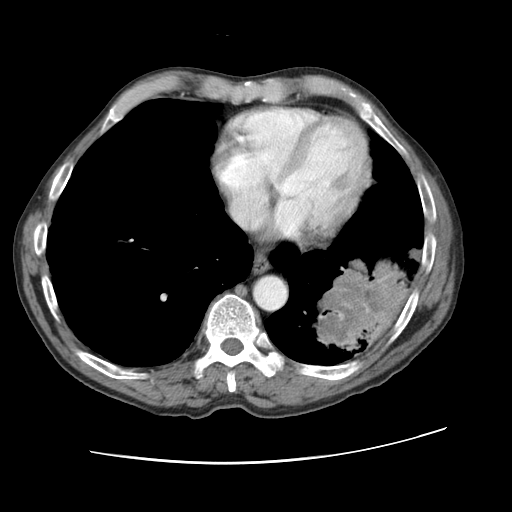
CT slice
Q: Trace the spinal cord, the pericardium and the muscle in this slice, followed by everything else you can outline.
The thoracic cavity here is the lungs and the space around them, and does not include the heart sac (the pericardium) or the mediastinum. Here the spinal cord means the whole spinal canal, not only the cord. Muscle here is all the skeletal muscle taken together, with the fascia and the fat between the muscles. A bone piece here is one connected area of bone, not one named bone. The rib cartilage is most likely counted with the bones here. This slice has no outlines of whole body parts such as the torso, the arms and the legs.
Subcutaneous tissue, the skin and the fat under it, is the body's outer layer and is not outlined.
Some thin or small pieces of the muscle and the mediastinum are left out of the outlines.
A: The spinal cord is outlined by (229, 338) (235, 338) (236, 339) (237, 339) (239, 341) (240, 341) (240, 342) (242, 344) (242, 349) (236, 354) (234, 354) (233, 355) (232, 355) (231, 354) (229, 354) (228, 353) (227, 353) (224, 350) (223, 350) (221, 347) (221, 344) (226, 339) (228, 339). The pericardium is outlined by (276, 102) (315, 103) (345, 110) (361, 122) (369, 136) (373, 183) (364, 192) (355, 211) (333, 237) (320, 239) (309, 245) (297, 244) (296, 246) (287, 242) (280, 244) (277, 241) (260, 243) (250, 238) (226, 212) (224, 201) (210, 169) (210, 158) (226, 117) (242, 108). The muscle appears in 4 outlined pieces: piece 1: (305, 74) (322, 74) (338, 79) (365, 95) (405, 139) (432, 175) (451, 216) (455, 281) (449, 308) (440, 323) (393, 366) (331, 396) (302, 405) (264, 408) (234, 392) (237, 387) (234, 367) (248, 362) (270, 378) (281, 371) (288, 361) (297, 373) (306, 376) (326, 380) (340, 380) (350, 376) (363, 364) (358, 358) (377, 346) (391, 330) (385, 344) (390, 345) (407, 326) (420, 295) (416, 287) (413, 289) (416, 276) (420, 268) (427, 275) (431, 271) (436, 253) (435, 235) (431, 231) (424, 234) (424, 220) (434, 223) (437, 219) (434, 196) (423, 173) (419, 172) (414, 179) (404, 159) (409, 157) (406, 148) (371, 104) (342, 83) (319, 76) (306, 77) (299, 85) (303, 92) (289, 96) (287, 84) (273, 77) (299, 77); piece 2: (61, 164) (47, 195) (49, 201) (55, 202) (50, 224) (39, 221) (33, 229) (32, 241) (38, 257) (45, 253) (50, 276) (43, 273) (40, 285) (49, 312) (59, 323) (59, 310) (87, 349) (75, 347) (73, 352) (110, 378) (145, 380) (149, 374) (133, 368) (167, 364) (204, 338) (207, 346) (193, 361) (192, 375) (198, 380) (207, 367) (219, 362) (228, 368) (228, 393) (199, 407) (148, 404) (86, 376) (51, 343) (23, 289) (20, 238) (34, 203); piece 3: (170, 70) (182, 70) (193, 73) (211, 75) (202, 78) (195, 91) (198, 96) (203, 98) (185, 98) (159, 95) (163, 93) (169, 94) (174, 92) (179, 88) (180, 85) (181, 80) (177, 75) (165, 75) (141, 83) (129, 89) (112, 105) (125, 90) (137, 81) (148, 76); piece 4: (107, 112) (107, 114) (104, 118) (103, 120) (103, 122) (98, 131) (98, 137) (85, 150) (85, 151) (77, 160) (77, 161) (75, 163) (71, 159) (70, 159) (62, 163) (65, 157) (74, 148) (74, 147) (81, 140) (81, 139) (99, 122) (99, 121) (105, 115) (105, 114). The bones appear in 11 outlined pieces: piece 1: (227, 293) (249, 302) (257, 325) (286, 357) (322, 366) (359, 360) (361, 366) (343, 378) (326, 379) (299, 373) (287, 360) (268, 377) (243, 361) (233, 367) (233, 392) (229, 368) (219, 361) (195, 378) (194, 361) (208, 346) (204, 337) (197, 343) (197, 336) (209, 306); inner edge: (229, 338) (235, 338) (236, 339) (237, 339) (239, 341) (240, 341) (240, 342) (242, 344) (242, 349) (236, 354) (234, 354) (233, 355) (232, 355) (231, 354) (229, 354) (228, 353) (227, 353) (224, 350) (223, 350) (221, 347) (221, 344) (226, 339) (228, 339); piece 2: (208, 76) (219, 77) (227, 82) (239, 85) (248, 80) (260, 82) (263, 79) (272, 77) (286, 84) (289, 91) (289, 95) (286, 99) (275, 102) (262, 101) (258, 98) (249, 102) (241, 102) (238, 104) (234, 104) (228, 100) (204, 98) (198, 95) (196, 91) (202, 79); piece 3: (311, 77) (319, 77) (342, 84) (353, 90) (365, 101) (368, 102) (373, 111) (383, 124) (405, 148) (408, 153) (408, 157) (403, 157) (391, 144) (377, 133) (362, 119) (351, 105) (343, 99) (332, 95) (306, 94) (304, 93) (300, 85) (303, 80) (306, 78) (310, 78); piece 4: (165, 76) (177, 76) (179, 78) (180, 81) (178, 88) (176, 90) (169, 93) (163, 92) (160, 93) (156, 97) (149, 98) (142, 101) (132, 108) (122, 119) (99, 136) (99, 131) (105, 118) (108, 114) (109, 109) (124, 94) (129, 90) (135, 88) (141, 84) (150, 82); piece 5: (75, 348) (78, 348) (84, 351) (87, 351) (97, 357) (99, 357) (106, 361) (108, 361) (123, 368) (132, 368) (135, 371) (138, 372) (146, 372) (148, 374) (148, 377) (145, 379) (126, 379) (125, 378) (119, 379) (118, 378) (110, 377) (84, 362) (74, 352) (73, 350); piece 6: (415, 288) (416, 288) (419, 291) (419, 295) (417, 300) (417, 304) (415, 307) (415, 310) (409, 321) (407, 323) (406, 326) (403, 329) (400, 334) (390, 344) (387, 345) (386, 344) (387, 343) (387, 341) (393, 332) (392, 331) (392, 328) (398, 319) (410, 294); piece 7: (419, 173) (423, 174) (425, 177) (429, 185) (430, 190) (433, 196) (434, 204) (435, 205) (435, 211) (436, 212) (436, 219) (434, 222) (431, 222) (424, 217) (423, 208) (421, 203) (421, 199) (420, 198) (419, 192) (418, 191) (418, 188) (416, 184) (416, 179); piece 8: (70, 160) (71, 160) (74, 163) (74, 166) (72, 169) (71, 174) (64, 188) (62, 190) (60, 195) (58, 197) (56, 201) (49, 200) (48, 199) (48, 195) (49, 194) (49, 191) (50, 190) (50, 188) (51, 187) (51, 185) (52, 184) (54, 177) (58, 172) (62, 164); piece 9: (427, 232) (431, 232) (434, 235) (436, 240) (436, 244) (435, 245) (435, 253) (434, 254) (433, 263) (432, 264) (430, 271) (427, 274) (425, 273) (425, 271) (420, 267) (420, 265) (421, 264) (421, 258) (422, 257) (422, 252) (423, 251) (423, 245) (424, 244) (424, 235); piece 10: (43, 274) (48, 275) (50, 278) (52, 284) (52, 287) (56, 297) (58, 308) (59, 309) (57, 311) (57, 314) (59, 316) (60, 319) (59, 322) (54, 318) (50, 312) (50, 310) (46, 303) (43, 294) (42, 286) (41, 285) (41, 276); piece 11: (41, 221) (45, 221) (48, 225) (48, 228) (47, 229) (47, 237) (46, 238) (46, 244) (45, 245) (45, 252) (44, 253) (42, 253) (39, 256) (38, 256) (36, 254) (35, 252) (35, 249) (34, 248) (34, 242) (33, 241) (33, 233) (34, 232) (34, 229) (36, 225). The thoracic cavity appears in 2 outlined pieces: piece 1: (159, 96) (220, 105) (213, 116) (217, 136) (209, 157) (209, 169) (224, 211) (247, 238) (252, 249) (252, 261) (243, 280) (211, 300) (195, 341) (181, 355) (155, 366) (123, 367) (88, 351) (66, 322) (46, 258) (48, 229) (56, 202) (75, 164) (86, 150) (132, 109); piece 2: (372, 131) (403, 158) (415, 181) (424, 218) (419, 268) (397, 319) (377, 345) (346, 362) (300, 362) (280, 352) (260, 327) (290, 297) (288, 277) (276, 267) (271, 255) (284, 243) (295, 246) (301, 254) (327, 245) (339, 233) (365, 192) (377, 182) (372, 174). The mediastinum appears in 4 outlined pieces: piece 1: (246, 235) (260, 244) (279, 243) (270, 257) (275, 267) (287, 277) (289, 286) (289, 297) (286, 303) (267, 317) (261, 326) (258, 325) (254, 307) (249, 301) (235, 293) (224, 293) (211, 303) (218, 294) (243, 281) (249, 274) (253, 261) (253, 249) (248, 243); piece 2: (297, 93) (303, 93) (306, 95) (325, 95) (341, 99) (351, 106) (359, 117) (374, 131) (372, 130) (369, 131) (368, 133) (366, 127) (362, 122) (355, 115) (345, 109) (334, 107) (331, 105) (323, 103) (281, 101) (286, 100) (288, 97) (294, 96); piece 3: (189, 99) (221, 100) (228, 101) (234, 105) (238, 105) (241, 103) (249, 103) (258, 99) (262, 102) (266, 102) (256, 103) (249, 106) (236, 109) (230, 112) (225, 117) (219, 128) (219, 131) (217, 133) (217, 125) (215, 122) (214, 116) (220, 110) (221, 105) (218, 102); piece 4: (329, 238) (333, 238) (331, 239) (327, 244) (320, 246) (319, 247) (315, 247) (311, 249) (308, 249) (303, 251) (301, 253) (299, 253) (299, 250) (297, 248) (297, 245) (309, 246) (310, 245) (313, 245) (317, 241) (319, 241) (320, 240) (324, 240).